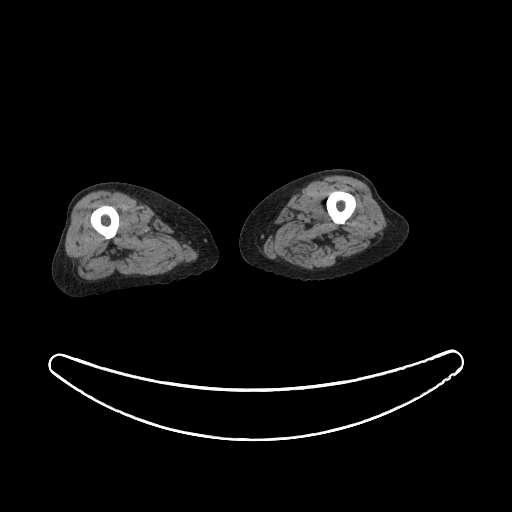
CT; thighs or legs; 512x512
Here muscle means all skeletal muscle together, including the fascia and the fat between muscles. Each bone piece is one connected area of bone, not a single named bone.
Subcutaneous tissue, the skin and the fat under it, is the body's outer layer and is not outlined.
Outlines:
bones 1: 334,190 342,190 343,191 348,192 352,194 354,196 356,200 356,207 354,211 352,213 350,217 348,218 343,224 338,224 337,223 335,223 332,220 331,217 328,214 328,212 326,208 326,200 329,195 329,193
bones 2: 101,205 111,205 113,206 116,209 119,215 119,226 117,229 117,231 115,235 112,238 110,238 109,239 106,239 103,235 100,234 97,231 96,231 93,228 90,222 90,216 92,212 95,209 96,209
left leg: 333,168 354,170 366,176 373,183 378,194 386,203 406,219 409,224 409,233 403,245 395,253 367,269 352,275 330,280 302,281 276,275 246,262 239,250 239,235 244,221 255,206 274,190 292,180 313,172
right leg: 108,181 126,182 151,189 178,203 197,216 208,227 218,247 219,257 216,264 199,275 191,275 167,284 115,289 102,294 84,297 72,297 63,293 52,278 51,263 65,224 68,205 74,195 80,190 96,183
muscle 1: 105,188 114,188 131,195 142,203 148,205 198,253 197,259 189,264 180,264 170,271 159,275 140,277 121,276 104,279 102,281 97,280 90,282 84,282 77,279 63,253 70,215 75,204 83,196 92,191; inner edge: 101,205 111,205 113,206 116,209 119,215 119,226 117,229 117,231 115,235 112,238 110,238 109,239 106,239 103,235 100,234 97,231 96,231 93,228 90,222 90,216 92,212 95,209 96,209
muscle 2: 327,174 351,176 364,182 369,187 372,197 378,203 387,222 386,227 382,231 381,240 362,252 344,259 340,264 310,272 304,272 284,263 267,258 261,251 261,248 269,228 282,208 295,191 309,182; inner edge: 334,190 342,190 343,191 348,192 352,194 354,196 356,200 356,207 354,211 352,213 350,217 348,218 343,224 338,224 337,223 335,223 332,220 331,217 328,214 328,212 326,208 326,200 329,195 329,193